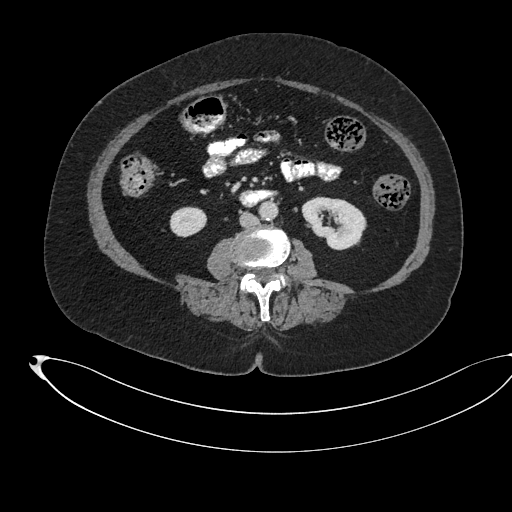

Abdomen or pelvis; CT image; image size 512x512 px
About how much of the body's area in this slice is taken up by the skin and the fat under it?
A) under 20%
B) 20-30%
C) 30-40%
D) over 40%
Answer: D) over 40%
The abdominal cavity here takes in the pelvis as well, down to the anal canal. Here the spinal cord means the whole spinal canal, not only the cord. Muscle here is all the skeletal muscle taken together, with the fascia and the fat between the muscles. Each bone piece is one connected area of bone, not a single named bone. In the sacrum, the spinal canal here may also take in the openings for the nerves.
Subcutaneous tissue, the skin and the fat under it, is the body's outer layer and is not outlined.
The bones are outlined by [[270,226],[280,228],[286,233],[291,248],[289,255],[279,268],[285,275],[286,285],[279,291],[271,293],[269,297],[270,317],[268,321],[262,321],[256,295],[252,292],[241,291],[239,288],[241,277],[246,268],[235,260],[235,249],[232,242],[238,232]] with a hole at [[256,267],[266,267],[267,268],[274,268],[276,270],[275,271],[275,272],[272,275],[272,278],[271,279],[270,279],[268,281],[267,281],[266,282],[263,283],[262,282],[261,282],[260,281],[259,281],[256,279],[256,275],[252,271],[252,269],[253,269]]. The spinal cord is outlined by [[256,267],[266,267],[267,268],[274,268],[276,270],[275,271],[275,272],[272,275],[272,278],[271,279],[270,279],[268,281],[267,281],[266,282],[263,283],[262,282],[261,282],[260,281],[259,281],[256,279],[256,275],[252,271],[252,269],[253,269]]. The abdominal cavity is outlined by [[256,80],[329,97],[365,116],[400,148],[418,182],[419,217],[414,246],[390,276],[361,289],[318,277],[312,252],[274,225],[220,239],[205,262],[213,280],[183,273],[173,279],[157,275],[117,239],[104,206],[103,183],[122,147],[172,105]]. The torso is outlined by [[248,32],[307,34],[363,53],[417,95],[445,137],[462,199],[462,269],[444,319],[421,343],[398,356],[313,376],[275,376],[256,367],[240,375],[208,373],[83,330],[61,312],[50,293],[42,253],[50,193],[64,148],[83,116],[126,79],[187,50]]. The muscle is outlined by [[262,74],[266,77],[280,76],[283,79],[299,81],[331,91],[359,104],[363,108],[373,112],[391,123],[407,136],[418,149],[429,170],[435,191],[435,213],[432,223],[433,229],[430,240],[430,248],[424,261],[418,268],[415,269],[404,281],[397,285],[376,292],[359,295],[354,299],[349,300],[342,311],[331,321],[320,325],[302,328],[289,333],[279,333],[269,328],[260,331],[244,331],[236,327],[211,322],[199,316],[195,316],[188,311],[182,303],[179,293],[173,288],[127,271],[117,265],[103,253],[99,249],[93,236],[87,211],[86,189],[90,171],[98,156],[108,142],[129,122],[143,113],[147,112],[149,109],[162,101],[177,96],[197,86],[226,79],[256,77]]; inner edge: [[256,80],[273,81],[326,96],[359,112],[400,148],[419,186],[417,235],[399,269],[375,285],[355,289],[318,277],[312,252],[300,239],[291,237],[289,255],[279,268],[285,275],[286,285],[271,293],[268,321],[260,319],[256,295],[239,288],[246,268],[235,260],[233,236],[220,239],[206,258],[205,266],[213,280],[183,273],[168,279],[144,267],[120,243],[103,201],[103,183],[110,165],[122,147],[151,119],[196,95]].